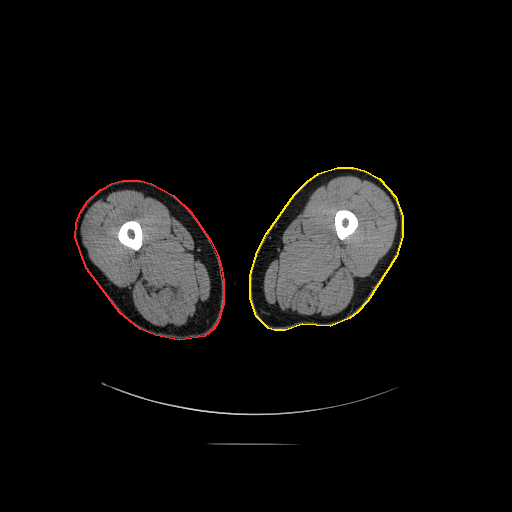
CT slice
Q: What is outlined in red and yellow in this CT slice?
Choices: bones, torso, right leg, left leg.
A: red: right leg; yellow: left leg.
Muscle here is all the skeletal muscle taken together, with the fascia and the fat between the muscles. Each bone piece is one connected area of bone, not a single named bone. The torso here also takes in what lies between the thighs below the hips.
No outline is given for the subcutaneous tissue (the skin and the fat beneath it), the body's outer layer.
The right leg is outlined by 122 180; 140 180; 151 183; 173 195; 190 211; 210 240; 217 254; 221 268; 223 280; 223 304; 217 323; 213 329; 204 336; 179 340; 155 335; 140 329; 120 313; 86 268; 75 237; 76 223; 80 212; 87 201; 100 189; 111 183. The left leg is outlined by 337 167; 353 167; 364 170; 379 178; 395 196; 402 216; 402 236; 396 256; 367 301; 357 312; 349 318; 330 326; 302 324; 285 330; 274 330; 268 328; 256 316; 250 298; 250 275; 257 251; 267 232; 294 194; 307 181; 318 173. The torso is outlined by 234 277; 235 278; 236 278; 236 279; 237 280; 237 281; 237 282; 237 283; 237 284; 237 285; 236 286; 235 286; 234 286; 233 286; 233 285; 232 284; 232 283; 232 282; 232 281; 232 280; 232 279; 233 278. The muscle appears in 2 outlined pieces: piece 1: 342 175; 353 175; 368 180; 381 188; 389 197; 393 204; 397 221; 393 243; 371 274; 356 288; 352 299; 344 309; 327 316; 287 314; 267 303; 263 290; 265 272; 281 240; 283 232; 303 210; 311 193; 317 187; 325 185; 332 178, around a hole outlined by 339 209; 347 209; 348 210; 350 210; 355 214; 358 221; 358 225; 354 232; 352 234; 349 235; 346 238; 342 240; 341 240; 337 236; 336 234; 336 231; 335 230; 335 227; 334 226; 334 216; 335 215; 336 211; 337 211; piece 2: 123 189; 137 190; 162 202; 169 210; 169 213; 191 234; 194 244; 204 262; 210 279; 210 294; 199 313; 184 325; 174 327; 158 326; 143 318; 122 293; 92 262; 87 249; 82 242; 80 230; 83 218; 88 209; 93 203; 109 193; inner edge: 128 220; 136 220; 138 221; 138 222; 141 226; 141 228; 142 229; 142 244; 140 248; 138 250; 134 250; 122 244; 119 241; 118 239; 117 234; 118 233; 118 230; 120 226; 124 222. The bones appear in 2 outlined pieces: piece 1: 128 220; 136 220; 138 221; 138 222; 141 226; 141 228; 142 229; 142 244; 140 248; 138 250; 134 250; 122 244; 119 241; 118 239; 117 234; 118 233; 118 230; 120 226; 124 222; piece 2: 339 209; 347 209; 348 210; 350 210; 355 214; 358 221; 358 225; 354 232; 352 234; 349 235; 346 238; 342 240; 341 240; 337 236; 336 234; 336 231; 335 230; 335 227; 334 226; 334 216; 335 215; 336 211; 337 211.